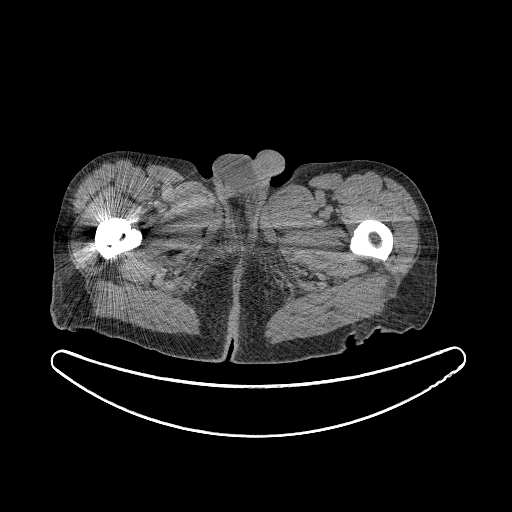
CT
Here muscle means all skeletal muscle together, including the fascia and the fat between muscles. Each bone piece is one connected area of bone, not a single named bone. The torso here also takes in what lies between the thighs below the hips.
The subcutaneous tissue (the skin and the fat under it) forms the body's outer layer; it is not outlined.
Outlined structures:
bones 1: 119,216 123,218 126,218 126,219 131,223 130,225 133,228 135,228 141,231 142,233 142,240 140,245 132,249 126,250 119,253 115,258 105,259 95,248 94,245 95,229 99,222 107,218 112,218
bones 2: 364,219 377,219 384,223 392,232 392,235 393,236 393,246 390,253 384,261 378,258 374,258 373,257 369,257 368,256 363,256 362,255 354,254 349,249 349,243 350,242 350,239 353,234 353,231 359,222
muscle 1: 344,170 381,172 401,184 411,195 421,217 418,260 403,279 396,297 373,318 365,318 323,335 276,344 266,343 262,336 264,325 283,303 284,286 278,260 260,227 262,209 275,191 291,183 308,180 321,173; inner edge: 364,219 377,219 384,223 392,232 392,235 393,236 393,246 390,253 384,261 378,258 374,258 373,257 369,257 368,256 363,256 362,255 354,254 349,249 349,243 350,242 350,239 353,234 353,231 359,222
muscle 2: 120,158 166,165 188,175 212,192 221,206 223,220 203,255 204,271 190,295 190,301 200,319 197,334 190,336 151,331 117,319 90,314 84,278 71,259 67,242 73,219 72,200 79,183 88,173 107,160; inner edge: 119,216 123,218 126,218 126,219 131,223 130,225 133,228 135,228 141,231 142,233 142,240 140,245 132,249 126,250 119,253 115,258 105,259 95,248 94,245 95,229 99,222 107,218 112,218
right leg: 116,150 188,160 196,165 202,175 209,176 215,186 227,220 228,245 235,267 235,317 225,360 206,362 177,358 92,330 73,332 59,329 53,324 49,312 53,274 52,241 64,192 74,175 86,163 103,153
torso: 264,148 270,148 278,151 284,157 285,166 279,174 271,177 270,182 273,186 268,193 261,216 250,236 232,255 229,245 228,220 221,196 210,177 212,173 211,166 215,158 221,154 244,153 253,158 259,150
left leg: 352,159 375,160 399,169 414,181 429,207 439,251 436,296 428,321 419,330 411,328 400,334 376,330 357,345 351,336 346,341 346,350 339,354 286,363 230,361 236,317 233,255 253,233 269,193 301,164